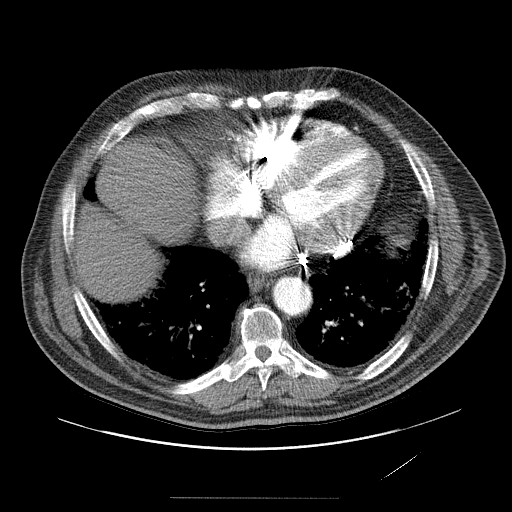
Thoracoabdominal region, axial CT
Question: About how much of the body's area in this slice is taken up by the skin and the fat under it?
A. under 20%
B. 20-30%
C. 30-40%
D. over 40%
Answer: A. under 20%
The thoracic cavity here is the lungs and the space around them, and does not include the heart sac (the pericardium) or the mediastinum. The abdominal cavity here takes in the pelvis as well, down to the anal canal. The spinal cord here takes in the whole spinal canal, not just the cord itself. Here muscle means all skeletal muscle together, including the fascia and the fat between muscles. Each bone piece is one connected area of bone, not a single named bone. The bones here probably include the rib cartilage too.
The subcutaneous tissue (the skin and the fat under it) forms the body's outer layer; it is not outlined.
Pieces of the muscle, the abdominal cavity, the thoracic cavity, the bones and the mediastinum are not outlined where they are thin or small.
{"thoracic_cavity":[[[186,245],[208,248],[227,255],[243,275],[248,294],[234,313],[233,319],[239,319],[240,338],[237,345],[220,363],[183,381],[158,376],[129,358],[112,341],[89,304],[98,302],[110,306],[128,306],[153,297],[164,280],[164,273],[170,263],[163,249]],[[423,218],[428,223],[428,240],[419,295],[403,333],[385,352],[363,368],[325,368],[293,347],[284,333],[293,334],[313,307],[312,274],[324,273],[330,259],[355,249],[368,236],[379,237],[373,247],[380,255],[399,259],[400,250],[407,250],[416,239]],[[89,178],[93,178],[93,188],[94,189],[94,192],[95,193],[95,200],[94,200],[93,201],[90,201],[89,200],[88,200],[87,199],[85,199],[83,197],[82,197],[82,190],[83,189],[83,188],[84,187],[84,186],[85,185],[87,180]]],"spinal_cord":[[[258,346],[265,346],[266,347],[267,347],[270,350],[270,354],[269,355],[269,356],[266,359],[265,359],[264,360],[261,360],[258,357],[257,357],[256,356],[256,355],[255,354],[255,350],[256,349],[256,348]]],"mediastinum":[[[327,261],[329,265],[324,272],[315,272],[309,276],[308,281],[314,288],[314,302],[307,316],[293,333],[284,332],[280,317],[264,303],[243,306],[238,313],[239,318],[234,319],[238,306],[249,294],[248,284],[239,267],[270,275],[284,270],[302,270]],[[325,102],[341,104],[356,110],[389,137],[405,155],[423,197],[402,201],[391,209],[388,209],[376,220],[388,201],[394,187],[394,175],[392,170],[394,168],[393,164],[395,160],[386,147],[371,133],[352,125],[342,117],[319,115],[311,111],[303,112]],[[222,107],[233,110],[259,110],[261,108],[272,109],[285,107],[294,112],[272,111],[259,114],[253,118],[234,119],[226,123],[219,117],[202,114],[185,123],[180,123],[171,127],[136,129],[136,126],[144,120],[180,114],[187,109],[217,110]],[[201,221],[205,225],[206,229],[205,232],[206,233],[205,234],[207,235],[207,238],[209,242],[216,248],[223,249],[226,252],[229,253],[231,255],[231,258],[227,254],[223,253],[219,250],[193,244],[193,240],[196,235],[196,230],[200,226]]],"abdominal_cavity":[[[202,115],[219,118],[223,124],[201,164],[200,222],[192,244],[162,249],[169,263],[153,296],[128,305],[98,301],[89,303],[78,282],[73,242],[78,200],[81,197],[90,202],[96,200],[94,178],[88,178],[94,164],[135,127],[136,130],[171,128]],[[418,198],[423,198],[425,202],[426,217],[423,217],[417,224],[415,239],[407,249],[399,250],[399,258],[387,258],[380,254],[374,247],[380,241],[380,237],[375,234],[366,236],[374,222],[379,220],[388,210],[391,210],[402,202],[412,199],[416,200]]],"torso":[[[307,65],[346,68],[383,83],[439,132],[476,179],[493,210],[506,267],[475,330],[445,361],[393,399],[323,423],[257,424],[229,431],[194,429],[100,399],[68,378],[45,355],[28,328],[20,266],[46,176],[82,122],[112,91],[150,73],[196,67]]],"muscle":[[[340,91],[385,116],[432,159],[445,177],[464,221],[464,230],[470,230],[469,220],[471,216],[475,218],[486,233],[492,257],[487,279],[474,291],[459,317],[400,372],[377,385],[339,397],[331,404],[290,406],[266,402],[258,408],[212,414],[112,384],[69,357],[43,330],[34,306],[34,268],[39,252],[48,247],[60,189],[81,149],[114,121],[97,147],[93,157],[97,159],[81,196],[77,201],[76,183],[71,179],[63,188],[60,205],[64,249],[68,255],[73,245],[79,284],[79,288],[72,285],[72,296],[84,323],[110,355],[122,361],[117,346],[146,371],[182,381],[168,390],[173,395],[192,394],[221,380],[234,382],[252,368],[256,369],[260,389],[264,392],[274,366],[294,379],[304,374],[323,380],[332,377],[327,368],[360,368],[362,370],[353,378],[361,381],[371,380],[390,367],[411,341],[412,334],[404,333],[404,329],[418,297],[426,300],[434,283],[439,243],[435,235],[428,239],[426,202],[433,208],[435,193],[422,158],[405,138],[397,140],[402,151],[356,109],[326,101],[344,101]],[[205,82],[232,84],[242,90],[259,90],[263,88],[266,90],[276,90],[266,92],[259,97],[249,94],[246,96],[233,97],[223,102],[224,98],[214,93],[188,91],[182,95],[154,99],[128,113],[127,109],[140,97],[156,89],[179,84],[196,86]]],"bones":[{"outer":[[256,304],[264,304],[272,310],[279,317],[283,336],[292,347],[326,369],[331,377],[323,379],[301,373],[294,378],[274,365],[262,391],[257,369],[252,367],[231,382],[221,379],[192,393],[170,392],[175,384],[209,371],[230,355],[241,342],[240,311]],"hole":[[258,346],[265,346],[266,347],[267,347],[270,350],[270,354],[269,355],[269,356],[266,359],[265,359],[264,360],[261,360],[258,357],[257,357],[256,356],[256,355],[255,354],[255,350],[256,349],[256,348]]},[[306,88],[335,88],[342,101],[319,100],[300,113],[285,106],[250,109],[245,104],[238,109],[225,105],[217,109],[186,108],[180,113],[142,120],[110,149],[94,157],[117,121],[154,100],[204,92],[222,97],[225,103],[237,97],[259,98],[272,91]],[[73,285],[75,285],[78,287],[82,292],[88,304],[90,306],[103,329],[111,341],[115,345],[117,351],[119,352],[121,358],[121,361],[117,360],[103,347],[103,346],[93,335],[85,323],[80,312],[78,310],[78,308],[76,305],[73,296]],[[408,332],[411,334],[411,338],[407,347],[404,350],[401,355],[390,366],[386,368],[381,373],[378,374],[371,379],[368,379],[367,380],[361,380],[360,379],[356,379],[354,378],[354,377],[357,374],[361,372],[364,368],[385,353],[401,337],[402,335]],[[401,138],[405,139],[417,152],[418,155],[421,158],[421,160],[424,164],[428,174],[430,176],[431,184],[434,193],[434,198],[435,199],[435,205],[433,207],[428,205],[428,203],[422,193],[420,185],[418,183],[414,172],[412,170],[406,155],[398,140]],[[71,180],[73,180],[75,183],[76,206],[75,207],[75,217],[74,218],[74,226],[73,227],[73,241],[70,244],[69,247],[70,252],[68,254],[66,252],[64,240],[63,239],[63,227],[62,226],[61,205],[62,204],[62,195],[64,191],[64,188]],[[433,236],[435,236],[437,238],[437,242],[438,243],[438,259],[437,260],[435,275],[434,276],[434,279],[433,280],[431,289],[427,298],[424,299],[420,296],[420,290],[421,289],[422,278],[425,269],[425,264],[427,259],[428,241],[429,239]]],"pericardium":[[[272,112],[313,113],[342,118],[352,126],[371,134],[394,160],[391,170],[393,175],[391,193],[367,234],[355,248],[338,257],[302,269],[284,269],[268,274],[243,269],[229,252],[210,242],[206,234],[206,225],[200,220],[200,201],[202,164],[222,125]]]}